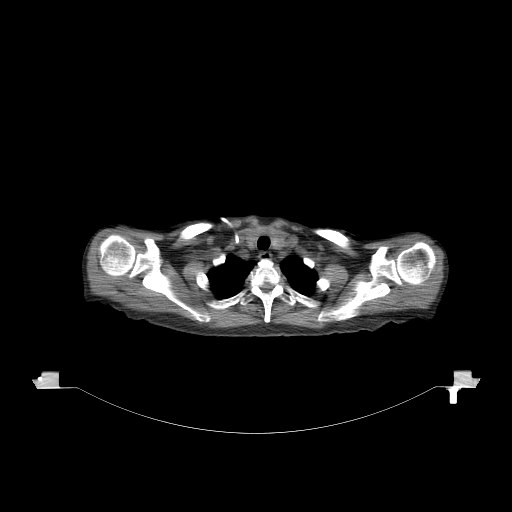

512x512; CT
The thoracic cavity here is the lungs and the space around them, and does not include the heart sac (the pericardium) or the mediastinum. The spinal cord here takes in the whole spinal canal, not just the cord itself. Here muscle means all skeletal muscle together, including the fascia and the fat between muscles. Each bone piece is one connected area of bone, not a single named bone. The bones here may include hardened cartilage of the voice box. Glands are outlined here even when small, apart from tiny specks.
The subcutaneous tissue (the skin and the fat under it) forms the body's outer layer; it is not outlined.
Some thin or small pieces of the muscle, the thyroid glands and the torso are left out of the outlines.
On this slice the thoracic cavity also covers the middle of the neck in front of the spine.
{"thoracic_cavity":[[[262,232],[272,235],[271,246],[275,250],[282,246],[282,240],[291,244],[293,252],[317,274],[315,291],[307,295],[296,290],[281,269],[271,259],[264,257],[249,271],[239,291],[217,298],[210,289],[207,273],[223,264],[226,256],[246,240],[252,248]]],"muscle":[{"outer":[[251,216],[264,224],[281,219],[311,228],[316,235],[345,249],[350,245],[348,237],[365,244],[407,235],[424,236],[443,253],[443,278],[439,291],[426,309],[358,315],[365,302],[384,297],[391,291],[386,281],[379,281],[380,277],[399,286],[403,282],[421,285],[430,277],[437,262],[434,249],[423,240],[402,249],[394,258],[387,257],[389,246],[381,244],[369,259],[371,278],[356,280],[351,289],[352,296],[318,313],[317,322],[329,323],[321,328],[271,323],[272,304],[276,298],[290,306],[297,302],[315,309],[321,302],[311,296],[316,290],[326,291],[331,281],[318,276],[315,261],[294,252],[289,241],[271,232],[260,231],[250,234],[226,255],[222,252],[214,257],[212,267],[206,273],[199,269],[194,279],[202,290],[214,294],[216,298],[205,304],[216,310],[236,304],[245,306],[252,296],[258,298],[263,306],[262,319],[266,323],[210,328],[174,313],[138,311],[94,295],[90,292],[87,278],[87,255],[92,241],[102,230],[126,227],[167,233],[185,226],[178,239],[189,240],[211,229],[214,223]],"hole":[[113,233],[124,237],[138,253],[146,250],[144,238],[153,238],[160,250],[160,271],[168,276],[175,295],[195,310],[207,312],[210,320],[194,319],[164,294],[145,287],[142,284],[144,272],[130,278],[127,273],[107,274],[100,266],[98,248],[101,241]]}],"torso":[[[250,213],[280,215],[308,224],[331,225],[366,237],[395,233],[391,243],[391,260],[401,307],[408,322],[390,322],[376,331],[361,330],[321,336],[226,337],[195,335],[127,318],[121,311],[132,286],[138,255],[137,234],[129,224],[164,227],[204,216]]],"bones":[[[417,241],[431,246],[436,258],[426,280],[416,285],[403,281],[399,285],[380,276],[378,281],[390,288],[387,294],[365,301],[354,317],[317,321],[322,310],[335,308],[354,295],[356,281],[372,278],[370,259],[379,246],[388,246],[386,257],[394,259]],[[113,233],[124,237],[138,253],[146,250],[144,238],[153,238],[160,250],[160,271],[168,276],[175,295],[195,310],[207,312],[210,320],[194,319],[164,294],[145,287],[142,284],[144,272],[130,278],[127,273],[107,274],[100,266],[98,248],[101,241]],{"outer":[[264,258],[280,269],[292,288],[318,300],[320,303],[317,307],[311,308],[297,301],[290,305],[276,297],[271,304],[270,321],[267,323],[263,319],[263,303],[254,295],[245,305],[236,303],[216,309],[206,304],[209,300],[228,298],[239,292],[250,271]],"hole":[[264,283],[269,283],[270,284],[271,284],[273,286],[272,287],[272,288],[270,290],[269,290],[268,291],[263,291],[261,289],[261,286]]},[[315,228],[329,228],[330,229],[333,229],[334,230],[336,230],[342,233],[348,238],[348,241],[349,242],[349,245],[348,247],[346,248],[344,247],[342,247],[334,243],[332,241],[330,240],[328,240],[316,234],[313,231],[313,229]],[[202,221],[207,221],[208,222],[211,222],[213,223],[213,226],[211,228],[210,228],[206,231],[204,231],[201,233],[199,233],[189,239],[179,239],[179,235],[180,234],[180,232],[186,226],[190,224],[192,224],[193,223],[196,223],[197,222],[201,222]],[[199,270],[201,270],[203,272],[204,272],[206,274],[206,275],[207,276],[207,277],[208,278],[208,280],[209,281],[209,290],[208,291],[207,291],[206,290],[204,290],[203,289],[202,289],[196,283],[196,280],[195,279],[195,278],[196,277],[196,273]],[[319,277],[324,277],[325,278],[327,278],[330,281],[330,285],[329,286],[329,287],[326,290],[325,290],[324,291],[318,291],[316,289],[316,281],[318,279],[318,278]],[[222,253],[224,253],[225,254],[225,260],[224,261],[224,262],[223,263],[222,263],[221,264],[219,264],[218,265],[217,265],[216,266],[213,266],[213,264],[212,263],[212,260],[214,258],[216,258],[217,257],[218,257]],[[304,257],[308,257],[309,258],[310,258],[311,259],[312,259],[314,261],[314,267],[313,268],[310,268],[307,265],[306,265],[304,263],[304,262],[303,261],[303,258]]],"thyroid_glands":[[[271,233],[272,234],[273,234],[274,235],[275,235],[276,236],[279,237],[281,239],[281,241],[282,242],[282,244],[281,245],[281,246],[279,248],[278,248],[277,249],[275,249],[272,246],[272,237],[273,236],[273,235],[272,234],[271,234]],[[256,233],[259,233],[256,236],[256,238],[255,239],[255,240],[254,241],[254,244],[253,245],[253,246],[252,247],[251,247],[248,244],[248,242],[247,241],[247,239],[250,236],[250,235],[251,235],[252,234],[255,234]]],"left_arm":[[[410,230],[424,232],[437,239],[445,248],[448,256],[449,277],[447,285],[442,300],[437,310],[437,313],[435,317],[430,321],[423,321],[420,319],[414,319],[409,321],[402,307],[398,283],[396,280],[394,272],[392,260],[392,243],[394,236],[397,232]]],"right_arm":[[[113,223],[127,223],[134,230],[137,238],[137,255],[133,271],[132,282],[129,291],[126,296],[124,305],[120,312],[107,305],[104,305],[97,302],[87,304],[83,299],[83,286],[81,277],[81,258],[84,247],[87,241],[91,235],[98,228],[104,225]]],"spinal_cord":[[[264,283],[269,283],[270,284],[271,284],[273,286],[272,287],[272,288],[270,290],[269,290],[268,291],[263,291],[261,289],[261,286]]]}